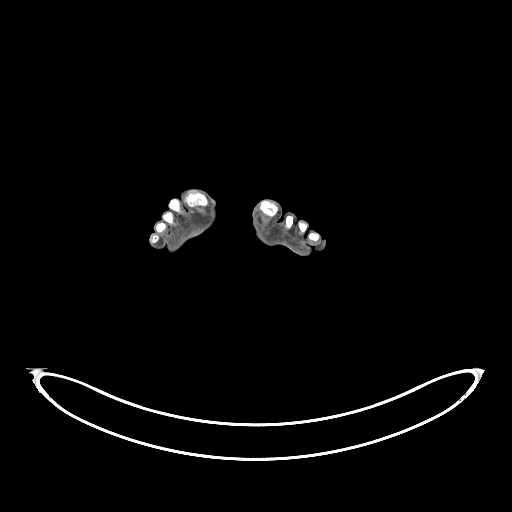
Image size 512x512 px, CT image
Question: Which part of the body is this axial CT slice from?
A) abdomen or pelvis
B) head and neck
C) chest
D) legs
Answer: D) legs
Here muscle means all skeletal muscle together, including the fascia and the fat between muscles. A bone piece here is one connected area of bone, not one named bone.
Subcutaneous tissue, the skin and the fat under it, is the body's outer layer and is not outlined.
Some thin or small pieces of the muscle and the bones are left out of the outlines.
{"left_leg":[[[263,198],[273,198],[277,200],[281,204],[284,212],[292,211],[300,219],[306,220],[309,226],[318,232],[326,240],[325,250],[321,253],[314,252],[309,257],[301,257],[285,247],[281,246],[268,247],[262,244],[253,233],[251,211],[254,204],[258,200]]],"bones":[[[189,189],[203,193],[208,200],[208,205],[190,207],[181,201],[180,208],[183,213],[173,211],[174,223],[167,223],[165,229],[158,234],[158,240],[150,244],[149,237],[155,231],[155,224],[161,221],[162,215],[170,209],[169,201],[172,198],[180,200]],[[264,199],[266,199],[267,200],[270,200],[271,201],[274,202],[277,205],[277,206],[278,207],[278,210],[275,214],[275,215],[270,217],[269,216],[267,216],[266,215],[265,215],[260,210],[260,209],[259,208],[259,203],[261,200],[263,200]]],"muscle":[[[258,207],[265,216],[270,218],[275,216],[278,211],[284,217],[284,227],[288,230],[293,226],[294,220],[297,222],[301,234],[307,232],[306,236],[310,241],[316,242],[319,240],[319,242],[302,245],[288,237],[276,235],[273,230],[264,230],[256,215]],[[181,202],[190,208],[207,207],[210,204],[209,208],[206,210],[207,213],[205,215],[201,215],[198,218],[194,227],[187,229],[183,233],[171,238],[160,237],[159,234],[166,229],[167,224],[173,225],[175,223],[173,212],[178,214],[184,213],[181,208]]],"right_leg":[[[191,187],[199,187],[206,190],[217,202],[218,216],[215,223],[205,233],[188,241],[181,249],[171,255],[168,255],[163,249],[156,250],[152,248],[149,242],[149,237],[154,223],[160,218],[161,213],[166,209],[169,201],[172,198],[177,197],[184,189]]]}